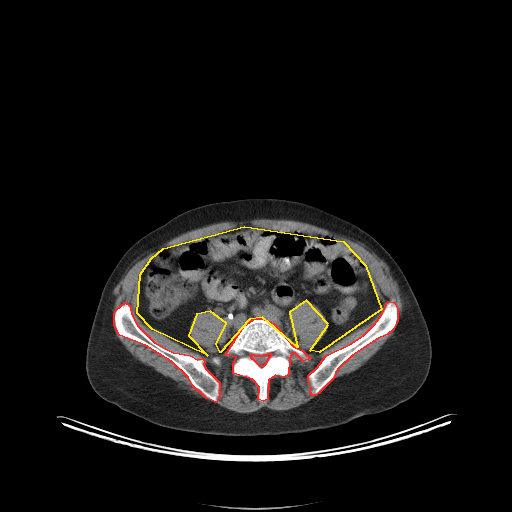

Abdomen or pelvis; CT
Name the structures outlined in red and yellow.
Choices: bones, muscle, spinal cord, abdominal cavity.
red: bones; yellow: abdominal cavity.
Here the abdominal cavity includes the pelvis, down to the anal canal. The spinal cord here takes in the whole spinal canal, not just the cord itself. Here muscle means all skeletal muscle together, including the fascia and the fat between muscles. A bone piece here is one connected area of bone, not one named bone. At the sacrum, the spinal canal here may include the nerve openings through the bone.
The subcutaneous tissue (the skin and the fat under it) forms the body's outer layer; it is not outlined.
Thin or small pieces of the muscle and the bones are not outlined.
The bones appear in 3 outlined pieces: piece 1: 255 318; 262 318; 273 323; 293 346; 302 350; 310 358; 303 361; 295 353; 292 353; 289 358; 288 374; 284 377; 275 375; 268 380; 267 399; 263 401; 258 399; 259 387; 252 379; 233 373; 233 364; 236 357; 225 354; 244 325, around a hole outlined by 268 353; 270 353; 271 354; 271 355; 267 359; 267 360; 266 361; 266 362; 265 363; 265 364; 263 366; 260 366; 253 359; 252 359; 251 358; 251 357; 250 356; 250 355; 251 354; 253 354; 254 355; 264 355; 265 354; 267 354; piece 2: 125 302; 129 305; 132 316; 137 325; 154 342; 173 352; 190 355; 197 359; 202 358; 204 360; 203 364; 206 369; 219 382; 219 394; 216 402; 206 398; 192 385; 188 377; 171 361; 145 345; 119 335; 114 324; 114 313; 116 309; piece 3: 388 301; 394 302; 397 308; 397 321; 393 329; 387 334; 376 339; 352 355; 338 368; 335 372; 334 377; 318 393; 315 395; 312 395; 310 392; 311 387; 308 381; 308 375; 316 368; 326 355; 351 343; 363 335; 374 324; 380 316. The abdominal cavity is outlined by 244 226; 343 241; 365 265; 381 309; 319 352; 310 350; 328 324; 306 300; 289 312; 297 347; 262 317; 249 319; 220 352; 216 344; 226 323; 210 311; 196 314; 188 335; 207 355; 152 329; 137 313; 140 274; 151 258; 163 248. The torso is outlined by 267 197; 307 203; 337 215; 366 231; 389 252; 407 278; 429 330; 432 356; 422 386; 409 399; 390 409; 364 415; 339 426; 252 436; 215 435; 163 427; 101 398; 86 375; 86 348; 101 292; 122 255; 138 239; 178 213; 212 202. The spinal cord is outlined by 268 353; 270 353; 271 354; 271 355; 267 359; 267 360; 266 361; 266 362; 265 363; 265 364; 263 366; 260 366; 253 359; 252 359; 251 358; 251 357; 250 356; 250 355; 251 354; 253 354; 254 355; 264 355; 265 354; 267 354. The muscle is outlined by 260 218; 266 219; 284 218; 299 220; 344 234; 363 243; 366 247; 373 251; 390 266; 403 298; 403 310; 401 319; 395 328; 393 334; 385 341; 381 347; 357 369; 335 378; 324 389; 323 388; 335 377; 336 372; 346 361; 368 345; 391 332; 398 321; 397 305; 394 301; 388 300; 385 303; 379 316; 363 334; 351 342; 326 354; 315 368; 307 375; 307 381; 310 387; 309 392; 312 396; 315 396; 312 399; 296 407; 286 410; 274 410; 264 406; 252 412; 242 413; 227 409; 216 403; 218 401; 220 394; 220 382; 207 369; 204 364; 205 360; 202 357; 197 358; 190 354; 176 352; 154 341; 138 325; 133 316; 131 307; 127 302; 125 301; 120 304; 113 313; 113 324; 118 335; 122 338; 130 339; 145 346; 171 362; 187 377; 191 385; 198 390; 205 398; 196 396; 178 387; 177 383; 171 378; 163 375; 155 370; 153 367; 144 364; 134 357; 116 336; 113 328; 112 297; 113 289; 123 277; 129 267; 166 239; 218 221; 251 220, around holes outlined by 244 226; 338 238; 381 302; 369 322; 319 352; 310 350; 326 318; 296 303; 290 328; 310 358; 292 353; 263 401; 252 379; 233 373; 236 357; 216 348; 227 325; 215 313; 189 326; 207 355; 137 313; 140 274; 161 249 and by 213 356; 218 356; 219 357; 220 357; 220 358; 221 359; 221 363; 219 365; 216 365; 215 364; 214 364; 211 361; 211 358.